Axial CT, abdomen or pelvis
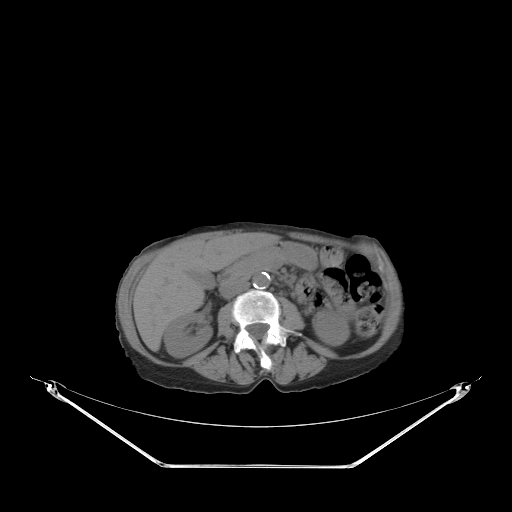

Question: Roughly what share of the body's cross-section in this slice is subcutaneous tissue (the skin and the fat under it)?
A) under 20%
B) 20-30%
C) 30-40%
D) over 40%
Answer: A) under 20%
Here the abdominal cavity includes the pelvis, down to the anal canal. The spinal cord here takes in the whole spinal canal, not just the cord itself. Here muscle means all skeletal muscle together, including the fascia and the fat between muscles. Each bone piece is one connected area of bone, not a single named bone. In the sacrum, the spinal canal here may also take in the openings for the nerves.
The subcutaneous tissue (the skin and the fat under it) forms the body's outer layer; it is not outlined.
The abdominal cavity is outlined by (250, 232) (335, 245) (364, 254) (375, 266) (385, 295) (383, 320) (373, 341) (358, 351) (340, 354) (302, 332) (306, 323) (289, 299) (250, 288) (219, 308) (216, 339) (200, 351) (177, 362) (151, 352) (136, 329) (131, 309) (134, 284) (146, 265) (164, 249) (181, 242). The torso is outlined by (233, 221) (308, 226) (345, 235) (365, 233) (376, 237) (397, 268) (406, 302) (405, 335) (393, 357) (364, 375) (300, 392) (280, 392) (263, 380) (246, 394) (206, 394) (166, 388) (141, 378) (125, 357) (114, 327) (114, 293) (124, 268) (132, 256) (152, 241) (201, 225). The spinal cord is outlined by (256, 323) (261, 323) (262, 324) (266, 324) (267, 325) (268, 325) (268, 328) (266, 330) (266, 331) (265, 332) (265, 334) (260, 339) (256, 339) (255, 338) (252, 337) (250, 335) (249, 332) (246, 329) (246, 327) (248, 325) (250, 325) (251, 324) (255, 324). The bones are outlined by (250, 289) (272, 293) (279, 302) (281, 310) (279, 323) (301, 333) (301, 335) (289, 334) (284, 346) (279, 344) (265, 346) (264, 350) (271, 360) (270, 370) (261, 367) (259, 355) (254, 350) (244, 348) (236, 353) (233, 349) (239, 327) (231, 313) (232, 303) (238, 295), around a hole outlined by (256, 323) (261, 323) (262, 324) (266, 324) (267, 325) (268, 325) (268, 328) (266, 330) (266, 331) (265, 332) (265, 334) (260, 339) (256, 339) (255, 338) (252, 337) (250, 335) (249, 332) (246, 329) (246, 327) (248, 325) (250, 325) (251, 324) (255, 324). The muscle appears in 2 outlined pieces: piece 1: (236, 228) (248, 228) (249, 229) (261, 229) (262, 230) (274, 230) (275, 231) (296, 231) (297, 232) (301, 232) (307, 234) (318, 235) (326, 238) (342, 240) (350, 243) (355, 243) (361, 240) (370, 241) (375, 243) (383, 251) (388, 259) (394, 271) (395, 276) (399, 285) (400, 299) (401, 300) (401, 310) (399, 316) (399, 321) (396, 327) (396, 329) (388, 340) (378, 350) (375, 351) (373, 353) (364, 356) (361, 358) (339, 361) (338, 362) (332, 362) (328, 364) (322, 370) (320, 374) (317, 376) (309, 380) (293, 385) (283, 385) (280, 384) (278, 383) (273, 377) (267, 374) (261, 375) (257, 377) (253, 382) (248, 385) (226, 384) (225, 383) (222, 383) (221, 382) (218, 382) (205, 378) (190, 368) (176, 368) (175, 367) (162, 366) (150, 361) (143, 355) (135, 350) (129, 344) (124, 335) (124, 332) (121, 327) (121, 324) (119, 320) (118, 309) (117, 308) (117, 300) (118, 299) (119, 289) (123, 280) (123, 278) (127, 273) (130, 266) (132, 263) (140, 255) (144, 253) (145, 251) (163, 245) (166, 243) (186, 237) (189, 235) (197, 234) (202, 232) (227, 230) (228, 229) (235, 229) with a hole at (250, 232) (364, 254) (385, 295) (373, 341) (340, 354) (302, 332) (289, 334) (284, 346) (265, 346) (271, 360) (267, 370) (254, 350) (234, 351) (239, 327) (228, 302) (217, 311) (216, 339) (200, 351) (177, 362) (151, 352) (131, 309) (134, 284) (146, 265) (181, 242); piece 2: (276, 297) (281, 297) (282, 298) (285, 298) (289, 300) (296, 306) (298, 311) (300, 313) (305, 323) (305, 325) (301, 332) (300, 331) (296, 331) (291, 328) (286, 327) (282, 325) (280, 323) (279, 319) (280, 318) (280, 315) (282, 312) (282, 310) (281, 309) (280, 302).